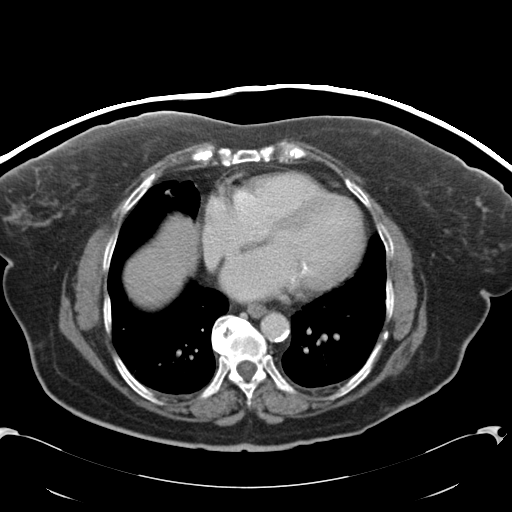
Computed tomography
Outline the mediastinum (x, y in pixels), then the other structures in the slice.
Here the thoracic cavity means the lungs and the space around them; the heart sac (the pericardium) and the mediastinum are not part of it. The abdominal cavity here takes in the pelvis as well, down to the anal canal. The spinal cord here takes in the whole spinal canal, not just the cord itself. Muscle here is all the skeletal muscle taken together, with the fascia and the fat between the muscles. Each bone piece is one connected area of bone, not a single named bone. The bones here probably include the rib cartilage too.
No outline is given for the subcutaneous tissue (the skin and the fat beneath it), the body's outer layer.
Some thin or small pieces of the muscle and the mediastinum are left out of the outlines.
mediastinum 1: 295 160; 322 164; 339 176; 347 189; 327 173; 264 163; 228 169; 210 188; 204 208; 202 261; 207 277; 215 288; 198 283; 202 252; 200 226; 196 218; 200 194; 190 180; 157 182; 178 169; 208 165; 229 167; 261 161; 288 163
mediastinum 2: 228 298; 239 304; 247 304; 251 302; 305 303; 306 304; 301 309; 296 311; 290 318; 291 339; 288 347; 281 355; 282 373; 277 367; 274 360; 274 357; 268 352; 268 345; 266 339; 260 331; 247 319; 238 315; 227 313; 229 309
mediastinum 3: 358 200; 367 209; 367 210; 369 212; 369 214; 371 216; 371 218; 373 220; 373 222; 374 223; 374 225; 377 232; 374 233; 369 238; 369 239; 369 237; 370 236; 370 223; 368 220; 366 213; 364 211; 364 209; 362 207
spinal cord: 243 361; 249 361; 250 362; 251 362; 252 363; 253 363; 255 365; 255 367; 256 368; 255 369; 255 371; 254 372; 254 373; 252 375; 252 376; 248 380; 246 380; 238 372; 238 371; 237 370; 237 366; 241 362; 242 362
thoracic cavity 1: 168 180; 192 182; 199 194; 196 217; 168 212; 125 260; 120 280; 127 299; 146 313; 169 306; 191 280; 227 298; 228 309; 210 333; 214 374; 201 390; 181 397; 153 392; 125 365; 112 339; 108 293; 108 272; 124 220; 150 187
thoracic cavity 2: 376 233; 378 234; 385 251; 385 311; 381 330; 369 355; 362 366; 337 388; 325 392; 310 392; 297 388; 282 374; 282 355; 289 347; 292 339; 292 316; 308 303; 332 289; 340 286; 346 280; 351 278; 362 264; 368 242; 370 238
bones 1: 225 314; 243 318; 259 331; 265 339; 267 352; 273 357; 281 374; 295 388; 295 393; 278 389; 267 377; 256 386; 251 403; 247 405; 243 391; 226 378; 216 393; 205 398; 199 397; 218 367; 219 354; 212 348; 211 333; 215 321 with a hole at 243 361; 249 361; 250 362; 251 362; 252 363; 253 363; 255 365; 255 367; 256 368; 255 369; 255 371; 254 372; 254 373; 252 375; 252 376; 248 380; 246 380; 238 372; 238 371; 237 370; 237 366; 241 362; 242 362
bones 2: 281 140; 293 143; 307 152; 305 157; 291 159; 288 162; 277 160; 266 162; 261 160; 224 166; 206 164; 201 160; 194 161; 191 159; 191 155; 198 148; 208 143; 213 144; 216 148; 227 147; 235 151; 239 149; 258 150; 276 144
bones 3: 385 330; 388 332; 388 336; 385 340; 382 341; 382 346; 378 352; 373 362; 372 368; 367 376; 354 388; 342 396; 333 400; 326 399; 325 398; 327 396; 332 394; 339 387; 343 385; 363 366; 370 355; 376 342; 382 339; 381 336
bones 4: 114 352; 116 352; 117 353; 121 359; 122 362; 127 368; 129 372; 141 384; 149 389; 160 400; 163 401; 165 403; 163 405; 159 405; 144 398; 130 387; 130 386; 120 375; 119 372; 117 370; 114 364; 114 362; 113 361; 113 353
bones 5: 153 172; 155 172; 156 173; 156 178; 153 181; 152 185; 147 189; 147 190; 131 208; 131 209; 130 209; 125 214; 121 215; 120 213; 120 209; 124 202; 134 190; 134 189; 136 188; 147 176; 148 176
bones 6: 376 222; 381 222; 386 227; 387 230; 389 232; 392 238; 392 240; 393 241; 393 245; 394 246; 394 248; 393 249; 393 255; 392 257; 390 257; 389 258; 386 258; 386 251; 385 250; 385 247; 377 231; 377 229; 375 225; 375 223
bones 7: 387 276; 388 276; 391 279; 391 281; 392 282; 392 286; 393 287; 393 292; 394 293; 394 303; 393 304; 393 310; 392 311; 392 314; 388 322; 385 322; 385 312; 386 311; 386 306; 385 305; 385 298; 386 297; 386 280; 387 279
bones 8: 117 229; 118 229; 118 234; 117 235; 117 238; 116 239; 115 245; 113 249; 113 252; 111 256; 111 259; 109 264; 109 268; 107 273; 106 273; 103 271; 103 256; 104 255; 104 251; 105 250; 106 244; 110 236
bones 9: 344 178; 348 178; 351 181; 354 182; 366 194; 366 195; 367 196; 367 197; 371 204; 371 208; 370 208; 369 209; 368 208; 367 208; 356 197; 356 196; 355 195; 354 195; 348 189; 348 188; 344 183; 344 181; 343 180; 343 179
bones 10: 107 292; 107 293; 109 296; 109 299; 110 300; 110 304; 111 305; 111 335; 109 335; 106 332; 106 330; 105 329; 105 327; 104 326; 104 321; 103 320; 103 311; 102 310; 102 307; 103 306; 103 300; 104 299; 105 294
abdominal cavity: 173 211; 181 212; 189 216; 193 220; 197 220; 199 226; 199 251; 201 252; 201 258; 199 260; 196 280; 191 279; 185 285; 179 295; 163 309; 156 312; 146 312; 138 309; 128 299; 121 280; 122 269; 126 260; 154 234; 166 215
torso: 169 114; 233 124; 323 115; 369 118; 405 129; 501 184; 511 196; 511 291; 490 298; 488 314; 453 378; 361 434; 276 451; 214 451; 160 443; 90 422; 56 403; 34 373; 25 337; 3 294; 7 262; 0 256; 0 177; 94 128
pericardium: 262 164; 291 170; 327 174; 351 193; 363 209; 369 223; 369 236; 365 251; 361 262; 354 273; 329 291; 326 291; 306 303; 261 301; 239 303; 230 299; 218 290; 211 282; 206 272; 203 261; 204 224; 207 197; 211 188; 228 170
muscle: 285 138; 310 144; 355 172; 414 244; 427 289; 427 330; 423 340; 395 377; 385 379; 354 401; 312 416; 267 423; 249 413; 232 425; 222 426; 172 419; 136 405; 92 367; 61 333; 58 312; 63 275; 67 265; 82 254; 98 222; 110 213; 141 172; 165 155; 203 141; 223 146; 208 142; 190 155; 192 161; 207 165; 174 169; 153 184; 157 173; 147 175; 121 205; 120 215; 128 213; 105 244; 102 271; 107 274; 107 291; 102 300; 102 320; 116 351; 112 353; 112 361; 119 375; 137 394; 159 406; 166 403; 154 393; 181 398; 200 391; 198 397; 205 399; 216 394; 226 379; 242 391; 246 405; 250 406; 255 389; 267 378; 278 390; 290 394; 295 394; 296 388; 310 393; 336 389; 324 398; 333 401; 354 389; 371 372; 383 341; 389 336; 385 329; 381 339; 377 340; 378 337; 394 310; 394 287; 386 269; 386 259; 394 255; 393 238; 381 221; 374 222; 368 210; 372 204; 354 181; 342 179; 322 163; 299 159; 308 152